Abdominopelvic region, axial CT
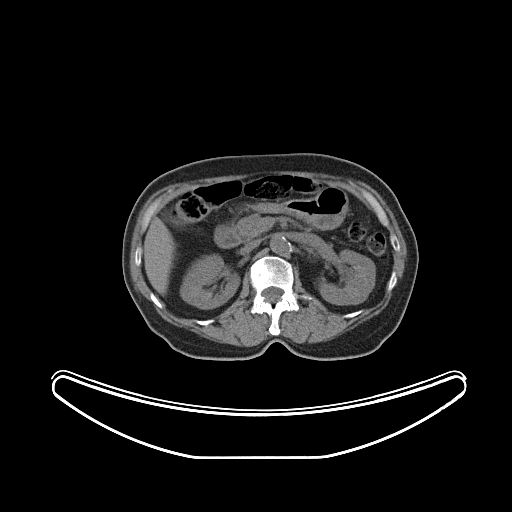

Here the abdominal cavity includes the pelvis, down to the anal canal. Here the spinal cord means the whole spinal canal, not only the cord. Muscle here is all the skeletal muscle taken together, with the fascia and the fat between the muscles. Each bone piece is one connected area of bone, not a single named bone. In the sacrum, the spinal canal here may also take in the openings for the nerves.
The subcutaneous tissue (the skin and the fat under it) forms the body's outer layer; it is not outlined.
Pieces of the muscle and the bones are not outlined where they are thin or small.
torso: 292 152; 323 153; 358 163; 379 176; 397 197; 415 234; 419 254; 415 282; 399 325; 375 351; 348 359; 301 357; 279 342; 256 357; 241 360; 198 359; 174 350; 149 329; 124 282; 122 239; 136 199; 154 178; 192 161; 225 155
bones 1: 266 255; 278 256; 287 261; 293 271; 293 291; 299 295; 312 297; 311 299; 299 297; 297 300; 298 310; 284 310; 280 314; 278 335; 272 335; 269 332; 271 318; 266 312; 252 313; 250 311; 256 292; 250 282; 250 266 with a hole at 269 287; 276 287; 277 288; 279 288; 280 289; 281 289; 283 291; 282 294; 280 296; 280 299; 279 299; 274 303; 272 303; 271 302; 266 301; 265 300; 265 298; 262 294; 262 292; 263 291; 263 290; 264 290; 266 288; 268 288
bones 2: 348 180; 361 189; 364 189; 369 192; 377 200; 377 201; 384 210; 389 220; 389 224; 387 227; 384 226; 380 222; 376 213; 372 209; 372 207; 370 205; 368 201; 364 197; 362 192; 359 189; 358 189; 353 185; 350 184; 348 182
bones 3: 166 192; 167 192; 159 200; 157 204; 157 207; 154 213; 151 216; 147 224; 147 226; 145 228; 145 230; 143 232; 141 230; 141 221; 144 215; 144 213; 148 208; 147 207; 157 197; 164 194
bones 4: 393 270; 394 270; 395 271; 395 273; 396 274; 396 277; 397 278; 397 280; 396 281; 396 284; 394 286; 394 287; 390 291; 387 291; 386 290; 386 286; 388 283; 388 280; 390 277; 390 275; 391 274; 391 272
bones 5: 391 234; 394 234; 397 237; 397 238; 398 239; 398 240; 399 241; 399 244; 400 245; 400 250; 398 252; 397 252; 395 250; 394 250; 394 249; 392 247; 392 245; 391 244; 391 243; 390 242; 390 235
bones 6: 138 246; 141 246; 141 263; 140 264; 140 265; 139 265; 138 266; 137 266; 135 264; 135 260; 134 259; 134 258; 135 257; 135 250; 136 249; 136 248
bones 7: 150 292; 153 292; 153 293; 157 297; 158 297; 161 300; 161 302; 163 304; 163 307; 162 308; 160 308; 159 307; 158 307; 150 299
abdominal cavity: 261 174; 317 178; 346 189; 371 208; 393 249; 391 271; 376 303; 346 313; 331 311; 306 290; 298 270; 287 260; 266 254; 249 266; 238 296; 219 314; 205 319; 180 317; 164 305; 148 285; 141 264; 142 240; 152 216; 198 185
muscle 1: 269 170; 332 174; 360 180; 377 191; 392 211; 407 250; 402 277; 388 304; 378 314; 328 341; 297 343; 279 335; 281 314; 284 311; 298 311; 299 298; 311 300; 313 296; 329 311; 343 314; 342 317; 345 319; 355 317; 363 309; 376 304; 385 290; 390 292; 397 284; 396 271; 392 270; 393 251; 398 253; 401 245; 398 237; 389 233; 387 228; 390 220; 378 200; 369 191; 350 180; 347 182; 361 192; 370 207; 346 188; 317 177; 293 173; 261 173; 198 184; 180 192; 156 211; 160 200; 168 192; 157 196; 146 207; 141 218; 140 230; 143 235; 141 245; 134 250; 133 259; 137 267; 141 265; 143 277; 151 290; 149 299; 158 308; 162 309; 165 306; 175 316; 195 319; 194 321; 202 326; 213 323; 215 320; 212 318; 237 299; 248 272; 250 285; 255 292; 249 311; 252 314; 266 313; 269 316; 268 332; 271 335; 256 345; 236 346; 212 341; 164 320; 135 288; 130 274; 131 239; 137 216; 144 203; 155 191; 169 184
muscle 2: 295 269; 296 269; 298 272; 298 276; 299 277; 299 279; 301 282; 301 285; 305 289; 305 290; 309 294; 310 294; 311 295; 310 295; 309 294; 299 294; 295 291; 294 291; 294 290; 293 289; 293 285; 294 284; 294 270
spinal cord: 269 287; 276 287; 277 288; 279 288; 280 289; 281 289; 283 291; 282 294; 280 296; 280 299; 279 299; 274 303; 272 303; 271 302; 266 301; 265 300; 265 298; 262 294; 262 292; 263 291; 263 290; 264 290; 266 288; 268 288